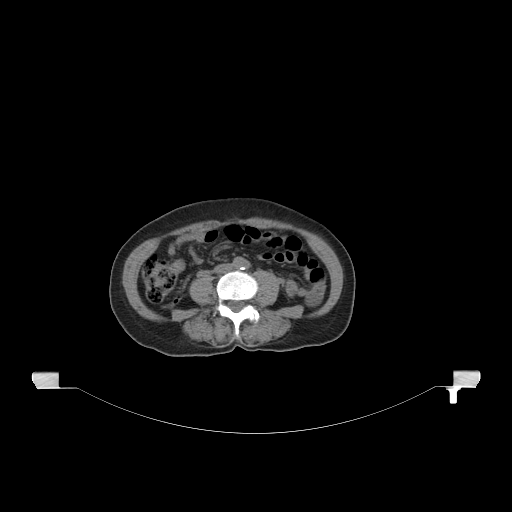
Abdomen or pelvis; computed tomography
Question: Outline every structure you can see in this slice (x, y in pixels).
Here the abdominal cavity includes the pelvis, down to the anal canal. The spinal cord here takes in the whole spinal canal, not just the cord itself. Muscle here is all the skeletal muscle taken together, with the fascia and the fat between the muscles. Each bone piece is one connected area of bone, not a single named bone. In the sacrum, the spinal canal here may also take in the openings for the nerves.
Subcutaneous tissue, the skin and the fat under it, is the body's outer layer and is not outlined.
Answer: The abdominal cavity is outlined by (231, 222) (301, 235) (329, 276) (323, 303) (307, 312) (299, 303) (272, 307) (281, 288) (278, 276) (258, 268) (251, 274) (234, 269) (219, 276) (194, 278) (188, 294) (197, 306) (175, 307) (169, 315) (149, 307) (140, 294) (138, 277) (142, 265) (160, 243) (168, 237). The spinal cord is outlined by (229, 300) (234, 300) (235, 301) (244, 301) (245, 302) (245, 305) (239, 311) (237, 311) (236, 312) (235, 312) (234, 311) (233, 311) (226, 304) (226, 302) (227, 301) (228, 301). The torso is outlined by (238, 196) (265, 198) (298, 210) (324, 224) (341, 241) (350, 255) (355, 271) (353, 312) (344, 333) (329, 343) (296, 350) (246, 351) (236, 347) (231, 352) (211, 356) (168, 356) (138, 344) (122, 329) (109, 303) (110, 270) (119, 248) (141, 226) (176, 207) (206, 199). The bones are outlined by (234, 270) (243, 270) (250, 274) (255, 278) (258, 285) (258, 289) (250, 302) (258, 311) (259, 319) (257, 322) (251, 321) (248, 319) (243, 320) (239, 325) (238, 337) (234, 333) (233, 322) (229, 318) (221, 316) (215, 308) (218, 303) (216, 283) (220, 276) (229, 271); inner edge: (229, 300) (234, 300) (235, 301) (244, 301) (245, 302) (245, 305) (239, 311) (237, 311) (236, 312) (235, 312) (234, 311) (233, 311) (226, 304) (226, 302) (227, 301) (228, 301). The muscle is outlined by (235, 216) (240, 218) (262, 217) (263, 218) (269, 218) (270, 219) (275, 219) (276, 220) (287, 222) (295, 226) (303, 228) (310, 232) (312, 232) (315, 234) (319, 235) (330, 245) (338, 257) (338, 259) (343, 269) (343, 285) (342, 286) (342, 290) (341, 291) (340, 296) (337, 302) (327, 313) (317, 318) (314, 318) (313, 319) (300, 319) (296, 321) (294, 325) (291, 328) (287, 336) (285, 338) (274, 343) (265, 343) (264, 344) (257, 345) (256, 346) (248, 346) (247, 345) (245, 345) (243, 343) (241, 343) (237, 341) (234, 341) (229, 345) (224, 347) (205, 347) (204, 346) (200, 346) (199, 345) (197, 345) (195, 343) (193, 343) (187, 336) (183, 334) (180, 329) (180, 327) (177, 323) (175, 322) (166, 322) (165, 323) (158, 323) (157, 322) (154, 322) (142, 317) (135, 311) (135, 310) (130, 305) (125, 294) (124, 288) (122, 285) (122, 272) (123, 271) (124, 262) (126, 258) (130, 252) (137, 245) (146, 239) (158, 236) (173, 229) (175, 229) (194, 222) (198, 222) (199, 221) (203, 221) (204, 220) (209, 220) (210, 219) (216, 219) (217, 220) (223, 221) (228, 218) (234, 217), around a hole outlined by (231, 222) (301, 235) (329, 276) (323, 303) (307, 312) (299, 303) (272, 307) (278, 276) (258, 268) (250, 302) (259, 319) (243, 320) (238, 337) (215, 308) (219, 277) (213, 274) (189, 284) (197, 306) (175, 307) (169, 315) (149, 307) (138, 277) (160, 243).